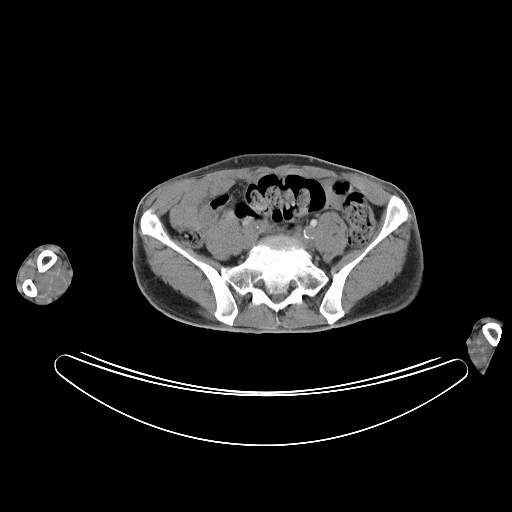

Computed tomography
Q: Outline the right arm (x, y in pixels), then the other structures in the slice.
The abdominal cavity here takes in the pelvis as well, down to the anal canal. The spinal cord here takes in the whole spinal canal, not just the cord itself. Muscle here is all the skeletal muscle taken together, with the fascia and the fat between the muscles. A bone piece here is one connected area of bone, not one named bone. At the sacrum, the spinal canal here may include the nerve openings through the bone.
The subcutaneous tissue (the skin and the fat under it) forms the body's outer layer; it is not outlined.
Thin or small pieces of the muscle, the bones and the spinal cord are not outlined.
A: {"right_arm":[[[48,242],[55,243],[59,245],[65,251],[72,266],[73,275],[72,276],[70,285],[66,291],[57,300],[46,305],[38,305],[30,301],[28,301],[26,299],[23,298],[19,294],[15,283],[15,277],[16,276],[17,270],[21,262],[28,253],[36,246]]],"torso":[[[251,152],[308,154],[372,174],[400,188],[414,208],[424,255],[423,286],[417,299],[411,305],[393,314],[366,319],[344,327],[307,333],[256,334],[214,330],[174,320],[152,307],[136,284],[131,264],[133,218],[139,200],[153,186],[172,176],[229,156]]],"muscle":[[[282,164],[311,165],[334,171],[351,172],[365,176],[395,190],[399,195],[392,193],[389,196],[380,229],[370,241],[378,229],[383,208],[373,203],[350,181],[338,175],[306,176],[295,172],[280,173],[276,171],[264,171],[250,176],[219,175],[216,178],[205,179],[188,186],[171,209],[167,210],[161,216],[161,220],[168,233],[184,247],[209,257],[211,257],[212,254],[206,245],[206,232],[210,226],[227,218],[237,221],[245,234],[246,246],[239,253],[231,255],[227,259],[219,259],[218,261],[222,265],[219,269],[196,258],[176,243],[164,229],[160,218],[150,207],[145,209],[141,214],[142,206],[146,199],[158,188],[174,180],[188,178],[220,169],[255,165],[275,167]],[[408,208],[411,214],[410,239],[408,244],[406,259],[402,270],[391,282],[385,283],[377,290],[373,291],[367,296],[362,298],[352,309],[351,312],[345,315],[345,311],[342,305],[342,295],[345,282],[348,275],[352,269],[373,248],[408,219],[409,216]],[[139,226],[142,234],[150,236],[171,248],[182,255],[202,271],[207,278],[214,295],[215,309],[213,312],[213,315],[218,321],[210,320],[199,314],[196,311],[198,305],[195,302],[186,298],[179,292],[174,290],[152,272],[146,261],[142,239],[138,231]],[[328,284],[318,307],[319,313],[326,320],[326,323],[324,324],[296,328],[278,327],[275,329],[234,325],[239,309],[232,289],[240,296],[250,293],[251,305],[258,306],[264,304],[277,314],[280,310],[289,305],[302,304],[304,295],[314,297]],[[325,213],[337,214],[345,224],[346,241],[343,249],[344,253],[350,250],[358,250],[365,246],[357,256],[344,264],[337,271],[333,272],[330,277],[324,270],[329,270],[342,255],[339,254],[329,260],[326,260],[312,247],[312,242],[316,235],[318,220]],{"outer":[[47,246],[53,246],[57,248],[60,252],[61,258],[66,263],[68,279],[59,294],[49,300],[39,301],[35,298],[38,294],[38,289],[33,280],[30,277],[24,279],[21,284],[21,289],[19,284],[19,274],[25,263],[34,255],[35,252]],"hole":[[44,249],[50,249],[52,251],[53,251],[56,254],[56,255],[57,256],[57,258],[56,259],[55,262],[48,269],[47,269],[44,272],[40,272],[39,271],[38,271],[38,269],[37,268],[37,258],[38,257],[38,255],[41,252],[41,251]]},[[485,320],[491,320],[487,321],[481,326],[481,331],[488,343],[491,346],[495,347],[495,350],[493,353],[493,355],[489,362],[489,364],[486,370],[479,365],[478,362],[474,357],[474,355],[471,348],[471,338],[472,337],[473,332],[475,329]]],"spinal_cord":[[[292,279],[294,279],[294,280],[297,284],[297,286],[295,286],[294,288],[290,292],[289,292],[288,294],[281,301],[279,302],[274,302],[269,296],[269,294],[271,294],[272,293],[280,293],[281,292],[287,293],[288,292],[288,289],[290,286],[291,280]]],"bones":[{"outer":[[392,194],[404,201],[407,219],[351,269],[341,295],[344,315],[331,325],[319,311],[328,283],[277,313],[232,288],[237,315],[233,325],[219,321],[203,271],[139,225],[150,208],[176,244],[217,270],[240,264],[260,239],[284,234],[330,278],[378,234]],"holes":[[[292,279],[294,279],[294,280],[297,284],[297,286],[295,286],[294,288],[290,292],[289,292],[288,294],[281,301],[279,302],[274,302],[269,296],[269,294],[271,294],[272,293],[280,293],[281,292],[287,293],[288,292],[288,289],[290,286],[291,280]],[[261,279],[262,279],[263,280],[263,281],[263,282],[263,283],[263,284],[263,285],[263,286],[262,286],[261,286],[260,286],[259,285],[258,285],[257,285],[256,285],[255,285],[255,284],[256,283],[256,282],[257,281],[258,281],[259,280],[260,280]]]},[[490,321],[493,321],[494,322],[496,322],[497,323],[498,323],[501,327],[501,332],[500,333],[500,337],[499,338],[499,340],[498,341],[497,344],[495,346],[493,346],[489,343],[489,342],[486,339],[486,338],[482,331],[482,326],[487,322],[489,322]],[[44,249],[50,249],[52,251],[53,251],[56,254],[56,255],[57,256],[57,258],[56,259],[55,262],[48,269],[47,269],[44,272],[40,272],[39,271],[38,271],[38,269],[37,268],[37,258],[38,257],[38,255],[41,252],[41,251]],[[28,278],[30,278],[32,280],[32,281],[34,283],[34,284],[35,285],[35,286],[37,289],[37,294],[36,295],[36,296],[35,296],[34,297],[31,297],[30,296],[28,296],[27,295],[26,295],[22,290],[22,284],[23,283],[24,280],[25,280]]],"abdominal_cavity":[[[264,172],[344,178],[382,208],[377,229],[365,245],[344,252],[346,224],[323,213],[311,247],[326,261],[341,255],[327,270],[284,233],[260,238],[240,263],[223,265],[219,260],[247,246],[229,217],[205,232],[211,256],[184,246],[162,216],[188,187]]],"left_arm":[[[484,316],[493,316],[501,319],[503,321],[503,326],[501,328],[500,337],[497,344],[495,346],[495,350],[489,362],[489,364],[485,372],[483,374],[481,374],[476,369],[469,358],[467,352],[467,348],[466,347],[466,339],[470,334],[474,323],[479,318]]]}